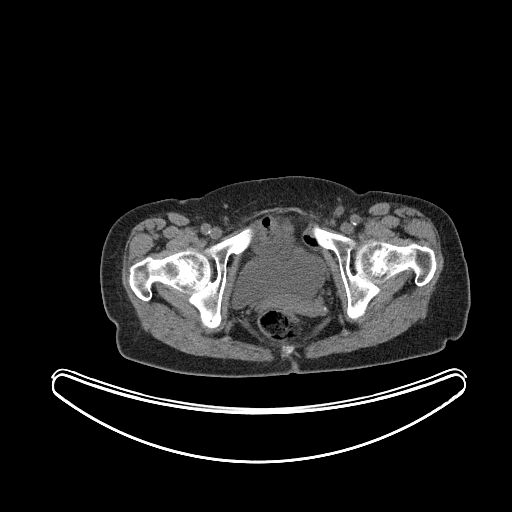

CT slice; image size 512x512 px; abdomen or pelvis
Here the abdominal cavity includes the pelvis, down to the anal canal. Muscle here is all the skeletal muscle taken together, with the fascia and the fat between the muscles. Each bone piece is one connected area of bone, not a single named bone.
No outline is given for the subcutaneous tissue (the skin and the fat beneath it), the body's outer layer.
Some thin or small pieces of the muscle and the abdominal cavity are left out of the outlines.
bones 1: (249, 226) (254, 230) (250, 243) (240, 254) (233, 253) (228, 258) (220, 306) (221, 321) (216, 327) (203, 326) (199, 311) (189, 302) (189, 296) (169, 285) (154, 282) (148, 301) (139, 298) (131, 289) (129, 268) (145, 257) (160, 259) (187, 248) (202, 252) (208, 246)
bones 2: (315, 225) (348, 236) (358, 246) (371, 239) (397, 246) (425, 245) (434, 251) (436, 268) (433, 276) (426, 284) (418, 286) (410, 268) (397, 273) (379, 285) (379, 292) (369, 301) (362, 316) (351, 318) (347, 315) (347, 295) (338, 259) (332, 250) (318, 243) (311, 229)
bones 3: (283, 345) (291, 345) (292, 346) (293, 346) (293, 350) (291, 352) (291, 353) (290, 353) (288, 355) (287, 355) (286, 356) (284, 356) (283, 355) (282, 355) (282, 346)
abdominal cavity: (269, 214) (299, 214) (309, 219) (311, 233) (317, 243) (323, 248) (325, 260) (336, 290) (337, 296) (324, 321) (313, 331) (293, 341) (264, 339) (240, 319) (241, 318) (230, 307) (229, 302) (242, 256) (241, 254) (251, 243) (255, 233) (254, 228) (258, 220)
muscle: (377, 202) (390, 202) (391, 203) (397, 203) (400, 205) (401, 204) (409, 206) (419, 210) (428, 217) (432, 221) (439, 235) (440, 245) (443, 256) (443, 268) (435, 284) (435, 288) (430, 296) (428, 304) (428, 311) (425, 318) (421, 322) (415, 323) (397, 336) (373, 346) (368, 346) (349, 352) (329, 354) (316, 358) (305, 357) (303, 355) (302, 349) (299, 348) (297, 350) (300, 353) (301, 355) (300, 356) (293, 355) (292, 359) (281, 358) (277, 353) (275, 355) (275, 358) (272, 361) (248, 361) (231, 358) (217, 358) (216, 357) (189, 354) (180, 351) (156, 339) (141, 327) (136, 311) (129, 300) (127, 293) (122, 284) (121, 269) (123, 260) (123, 252) (131, 229) (136, 224) (144, 219) (156, 216) (161, 213) (172, 211) (179, 213) (185, 213) (193, 216) (199, 216) (202, 217) (211, 226) (223, 227) (231, 225) (242, 217) (248, 216) (253, 212) (261, 210) (264, 208) (276, 207) (277, 206) (283, 207) (293, 206) (299, 207) (305, 210) (312, 210) (314, 212) (318, 212) (322, 214) (322, 216) (324, 218) (326, 218) (332, 225) (336, 225) (341, 220) (349, 217) (356, 211) (363, 210), around holes outlined by (269, 214) (302, 215) (310, 226) (348, 236) (358, 246) (371, 239) (425, 245) (434, 251) (436, 268) (421, 286) (410, 268) (397, 273) (379, 285) (362, 316) (351, 318) (338, 259) (324, 248) (337, 296) (331, 309) (313, 331) (279, 341) (258, 335) (230, 307) (242, 256) (233, 253) (226, 265) (221, 321) (208, 328) (189, 296) (169, 285) (154, 282) (151, 298) (139, 298) (129, 285) (129, 268) (147, 256) (160, 259) (187, 248) (202, 252) (255, 228) and by (237, 322) (240, 324) (240, 325) (245, 330) (246, 330) (250, 334) (256, 338) (259, 341) (259, 342) (258, 343) (255, 343) (254, 342) (248, 342) (247, 341) (242, 341) (241, 340) (235, 340) (230, 335) (230, 334) (231, 333) (231, 331) (233, 328) (234, 324) and by (335, 320) (337, 322) (337, 323) (341, 327) (341, 328) (338, 333) (336, 333) (335, 334) (332, 334) (331, 335) (329, 335) (328, 336) (325, 336) (324, 337) (320, 337) (319, 338) (316, 338) (315, 339) (312, 339) (313, 339) (325, 328) (326, 328) (333, 321) (334, 321) and by (283, 345) (291, 345) (292, 346) (293, 346) (293, 350) (291, 352) (291, 353) (290, 353) (288, 355) (287, 355) (286, 356) (284, 356) (283, 355) (282, 355) (282, 346)
torso: (287, 175) (325, 178) (359, 193) (381, 190) (412, 195) (444, 209) (458, 231) (469, 273) (471, 303) (462, 335) (436, 353) (393, 363) (263, 377) (189, 375) (123, 357) (115, 342) (116, 328) (104, 310) (99, 279) (103, 242) (115, 220) (151, 201) (193, 198) (234, 182)